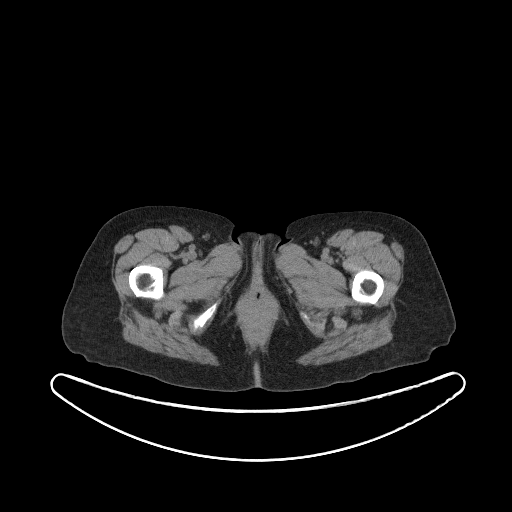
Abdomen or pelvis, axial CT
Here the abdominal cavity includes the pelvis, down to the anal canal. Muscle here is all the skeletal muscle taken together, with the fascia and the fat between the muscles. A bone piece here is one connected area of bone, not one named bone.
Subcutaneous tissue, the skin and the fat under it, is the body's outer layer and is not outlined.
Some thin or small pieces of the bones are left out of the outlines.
{"bones":[[[138,264],[151,264],[154,266],[160,267],[162,269],[162,272],[163,273],[163,289],[164,290],[164,294],[160,299],[156,300],[155,299],[152,299],[151,298],[137,297],[130,288],[129,286],[129,283],[128,282],[128,276],[129,275],[129,272],[132,268]],[[362,269],[373,270],[377,273],[378,273],[382,277],[383,279],[383,281],[384,282],[384,287],[383,288],[383,292],[375,304],[369,304],[368,303],[360,303],[354,300],[351,296],[351,285],[352,284],[352,281],[353,280],[354,275],[358,271]],[[217,301],[219,301],[219,302],[218,303],[217,308],[215,312],[213,314],[213,315],[206,321],[206,322],[202,327],[199,327],[197,329],[194,330],[192,326],[192,323],[193,322],[193,320],[194,318],[197,315],[198,315],[200,313],[204,311],[213,303]]],"muscle":[{"outer":[[355,227],[370,227],[387,234],[403,248],[403,279],[394,297],[397,314],[392,326],[393,337],[382,346],[350,358],[321,365],[298,364],[294,360],[313,346],[314,337],[290,303],[278,275],[276,258],[289,243],[298,244],[318,257],[328,237],[338,230]],"hole":[[362,269],[373,270],[377,273],[378,273],[382,277],[383,279],[383,281],[384,282],[384,287],[383,288],[383,292],[375,304],[369,304],[368,303],[360,303],[354,300],[351,296],[351,285],[352,284],[352,281],[353,280],[354,275],[358,271]]},{"outer":[[170,224],[183,226],[205,250],[221,243],[229,243],[237,248],[241,256],[241,268],[230,294],[199,337],[199,342],[218,357],[221,363],[218,366],[150,352],[125,341],[122,336],[122,326],[118,319],[120,302],[111,280],[113,248],[127,233],[153,225]],"holes":[[[138,264],[151,264],[154,266],[160,267],[162,269],[162,272],[163,273],[163,289],[164,290],[164,294],[160,299],[156,300],[155,299],[152,299],[151,298],[137,297],[130,288],[129,286],[129,283],[128,282],[128,276],[129,275],[129,272],[132,268]],[[217,301],[219,301],[219,302],[218,303],[217,308],[215,312],[213,314],[213,315],[206,321],[206,322],[202,327],[199,327],[197,329],[194,330],[192,326],[192,323],[193,322],[193,320],[194,318],[197,315],[198,315],[200,313],[204,311],[213,303]]]},{"outer":[[251,285],[260,285],[266,288],[278,301],[281,312],[279,314],[279,318],[273,326],[266,350],[254,350],[251,353],[249,353],[246,350],[246,345],[242,336],[242,332],[237,324],[237,317],[234,313],[230,312],[234,308],[240,295],[245,291],[246,288]],"hole":[[262,291],[264,291],[269,294],[273,299],[273,301],[275,302],[275,311],[263,345],[261,346],[250,346],[248,338],[246,335],[246,332],[244,329],[244,325],[242,323],[242,320],[240,317],[240,305],[244,299],[249,296],[252,292],[261,292]]}],"abdominal_cavity":[[[262,291],[264,291],[269,294],[273,299],[273,301],[275,302],[275,311],[263,345],[261,346],[250,346],[248,338],[246,335],[246,332],[244,329],[244,325],[242,323],[242,320],[240,317],[240,305],[244,299],[249,296],[252,292],[261,292]]],"torso":[[[145,205],[220,214],[235,225],[234,240],[247,230],[282,236],[292,221],[318,213],[373,210],[398,215],[417,227],[429,245],[451,302],[455,331],[449,343],[436,348],[425,362],[300,391],[186,388],[89,362],[63,342],[64,303],[100,227],[122,211]]]}